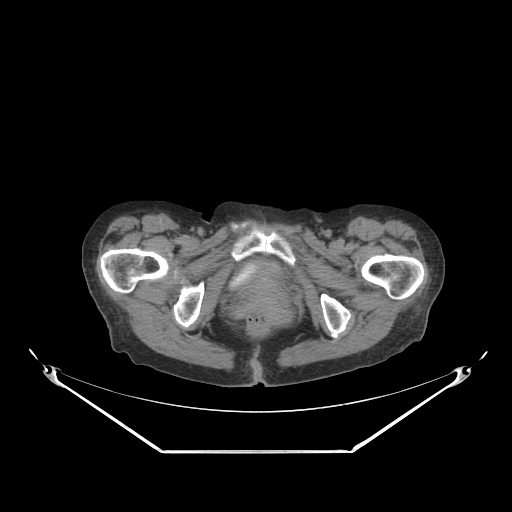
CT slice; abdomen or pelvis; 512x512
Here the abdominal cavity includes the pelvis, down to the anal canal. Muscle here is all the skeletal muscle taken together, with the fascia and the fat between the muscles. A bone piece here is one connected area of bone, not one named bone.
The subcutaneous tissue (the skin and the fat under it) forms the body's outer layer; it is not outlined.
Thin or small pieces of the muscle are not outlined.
Outlined structures:
muscle: [[150,210],[206,231],[229,222],[233,231],[249,227],[232,244],[229,254],[237,262],[222,293],[228,317],[252,337],[289,324],[299,305],[284,262],[295,264],[292,247],[256,220],[312,231],[356,216],[397,218],[421,234],[432,271],[421,297],[363,351],[282,368],[276,363],[282,349],[316,336],[307,309],[295,327],[257,346],[234,337],[215,316],[203,333],[236,352],[235,368],[196,365],[144,344],[94,269],[108,225]], around holes outlined by [[136,247],[147,251],[153,251],[164,257],[167,260],[169,265],[168,272],[165,276],[159,279],[155,280],[149,280],[148,279],[139,280],[133,290],[129,293],[117,292],[113,290],[107,284],[103,277],[100,267],[100,257],[104,252],[109,249],[135,248]] and by [[385,253],[389,253],[395,255],[405,255],[406,256],[414,257],[418,259],[421,262],[423,266],[424,269],[424,277],[422,282],[412,294],[403,299],[393,299],[389,297],[383,287],[366,280],[361,274],[361,267],[362,265],[371,256],[377,254],[384,254]] and by [[200,281],[203,281],[204,283],[204,293],[201,302],[201,306],[200,307],[199,314],[195,321],[186,328],[179,324],[175,320],[174,314],[173,313],[173,305],[178,299],[179,296],[179,290],[182,285],[184,284],[192,284],[195,285]] and by [[322,293],[325,293],[337,299],[349,310],[351,314],[351,316],[347,323],[346,328],[338,335],[338,337],[337,338],[331,337],[330,335],[330,332],[326,326],[326,324],[323,317],[323,313],[322,312],[322,308],[321,307],[321,303],[320,302],[320,295]]
torso: [[144,198],[175,202],[203,212],[205,218],[228,200],[316,211],[355,203],[410,210],[434,230],[445,258],[443,286],[430,309],[424,335],[375,365],[278,387],[262,383],[220,387],[135,365],[125,353],[110,346],[106,324],[85,282],[81,245],[106,208]]
bones 1: [[136,247],[147,251],[153,251],[164,257],[167,260],[169,265],[168,272],[165,276],[159,279],[155,280],[149,280],[148,279],[139,280],[133,290],[129,293],[117,292],[113,290],[107,284],[103,277],[100,267],[100,257],[104,252],[109,249],[135,248]]
bones 2: [[385,253],[389,253],[395,255],[405,255],[406,256],[414,257],[418,259],[421,262],[423,266],[424,269],[424,277],[422,282],[412,294],[403,299],[393,299],[389,297],[383,287],[366,280],[361,274],[361,267],[362,265],[371,256],[377,254],[384,254]]
bones 3: [[245,220],[255,220],[258,227],[266,234],[274,231],[282,236],[288,242],[295,256],[294,264],[290,265],[277,255],[262,251],[254,252],[236,261],[230,254],[233,244],[238,238],[245,235],[250,227],[239,227],[233,230],[230,224],[231,222],[240,224]]
bones 4: [[200,281],[203,281],[204,283],[204,293],[201,302],[201,306],[200,307],[199,314],[195,321],[186,328],[179,324],[175,320],[174,314],[173,313],[173,305],[178,299],[179,296],[179,290],[182,285],[184,284],[192,284],[195,285]]
bones 5: [[322,293],[325,293],[337,299],[349,310],[351,314],[351,316],[347,323],[346,328],[338,335],[338,337],[337,338],[331,337],[330,335],[330,332],[326,326],[326,324],[323,317],[323,313],[322,312],[322,308],[321,307],[321,303],[320,302],[320,295]]
abdominal cavity: [[259,252],[273,254],[283,261],[285,268],[297,291],[298,305],[297,313],[289,323],[280,325],[278,327],[274,327],[269,331],[266,331],[265,333],[256,334],[252,336],[244,331],[227,314],[224,309],[225,308],[223,291],[228,277],[237,263],[246,257]]